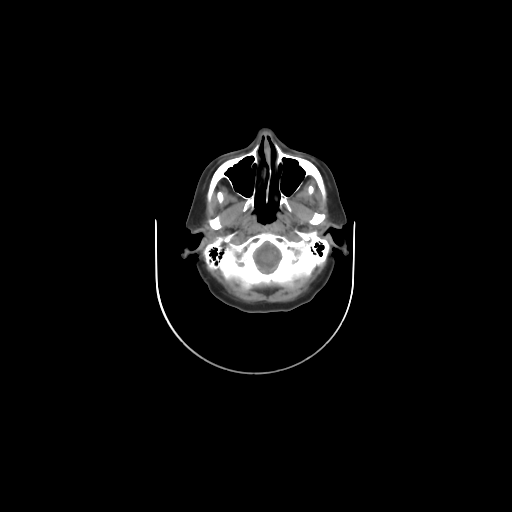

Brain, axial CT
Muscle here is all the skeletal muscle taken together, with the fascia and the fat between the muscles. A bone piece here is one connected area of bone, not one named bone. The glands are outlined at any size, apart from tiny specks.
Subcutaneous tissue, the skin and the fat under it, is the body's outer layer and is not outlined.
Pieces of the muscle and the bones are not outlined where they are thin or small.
The brain is outlined by 266 242; 268 242; 272 245; 273 245; 278 250; 280 254; 280 258; 276 266; 274 268; 274 269; 268 272; 266 272; 265 271; 262 271; 258 267; 255 261; 255 259; 254 258; 254 254; 256 250; 258 248; 259 248; 264 243. The parotid glands appear in 2 outlined pieces: piece 1: 331 216; 331 217; 331 218; 331 219; 331 220; 332 221; 331 222; 331 223; 330 223; 329 223; 328 223; 327 223; 328 222; 328 221; 329 220; 329 219; 329 218; 330 217; piece 2: 200 220; 201 220; 201 221; 202 222; 202 223; 202 224; 202 225; 202 226; 203 227; 202 227; 202 226; 201 225; 201 224; 200 223; 200 222; 200 221. The muscle appears in 2 outlined pieces: piece 1: 236 155; 224 160; 212 173; 205 196; 207 203; 212 200; 217 184; 224 179; 235 190; 237 195; 244 199; 241 209; 243 212; 250 209; 255 213; 259 222; 271 222; 276 218; 278 210; 283 206; 289 212; 292 211; 289 197; 301 188; 307 177; 314 179; 322 199; 326 201; 327 190; 320 170; 309 159; 296 155; 300 155; 313 160; 323 170; 330 183; 331 215; 320 232; 323 236; 320 236; 316 229; 303 231; 295 228; 293 231; 299 239; 292 240; 283 234; 264 230; 250 235; 240 243; 234 243; 231 240; 236 232; 233 231; 225 235; 217 235; 204 247; 208 238; 208 232; 204 228; 201 219; 204 182; 211 169; 220 160, around holes outlined by 315 211; 316 211; 319 213; 323 213; 324 214; 325 214; 325 218; 323 220; 323 221; 322 222; 321 222; 319 224; 317 224; 316 225; 314 225; 313 224; 311 224; 310 223; 309 223; 309 220; 311 218; 313 212; 314 212 and by 216 215; 219 215; 220 216; 220 223; 221 224; 221 227; 219 229; 217 229; 216 230; 215 230; 214 229; 213 229; 212 228; 211 228; 210 227; 210 226; 209 225; 209 223; 208 222; 208 220; 209 219; 211 219; 212 218; 213 218 and by 219 191; 220 191; 222 193; 222 194; 223 195; 223 200; 222 201; 222 202; 221 203; 220 203; 218 201; 218 198; 217 197; 217 193 and by 310 185; 311 185; 312 186; 312 187; 313 188; 313 189; 313 190; 313 191; 312 192; 312 193; 311 194; 310 194; 309 194; 308 193; 308 192; 308 191; 307 190; 307 189; 307 188; 308 187; 308 186; 309 186; piece 2: 202 254; 208 269; 219 270; 226 281; 234 282; 243 290; 249 290; 253 287; 261 286; 291 288; 296 281; 308 278; 315 268; 322 265; 328 257; 328 261; 317 281; 303 296; 290 302; 259 302; 248 304; 234 300; 222 292; 204 268. The head is outlined by 261 126; 329 167; 347 221; 328 231; 338 244; 346 236; 349 254; 332 250; 333 271; 309 302; 290 311; 247 313; 210 293; 195 253; 184 259; 180 254; 187 241; 193 249; 202 237; 192 234; 185 221; 203 169; 215 157; 245 147 with holes at 248 157; 251 157; 252 158; 252 161; 250 163; 250 167; 251 169; 253 170; 253 187; 251 194; 249 196; 246 196; 239 191; 236 191; 234 188; 234 184; 230 177; 227 174; 227 172; 228 170; 233 168; 234 166; 238 164; 242 160 and at 274 176; 274 199; 276 201; 277 200; 278 209; 273 220; 261 222; 258 220; 256 213; 254 211; 256 196; 258 196; 259 198; 260 197; 260 188; 264 184; 264 201; 266 203; 268 202; 271 182 and at 284 159; 289 159; 290 160; 293 160; 295 161; 297 165; 303 171; 303 177; 302 179; 299 182; 290 195; 287 195; 285 194; 282 191; 280 187; 280 184; 281 183; 281 176; 283 171; 282 170; 282 166; 284 164; 284 161; 283 160 and at 262 140; 263 140; 263 146; 262 147; 262 155; 263 156; 263 159; 265 161; 265 163; 266 164; 266 166; 265 166; 264 165; 262 165; 262 158; 261 157; 261 156; 259 153; 259 148; 260 147; 260 145; 261 144; 261 141 and at 270 142; 272 144; 272 145; 273 146; 273 147; 274 148; 274 149; 275 150; 275 156; 274 157; 273 157; 273 155; 272 154; 272 150; 271 149; 271 146; 270 145. The bones appear in 4 outlined pieces: piece 1: 295 229; 316 230; 320 237; 326 238; 330 250; 322 264; 291 287; 261 285; 243 289; 234 281; 226 280; 219 269; 208 268; 204 260; 203 249; 217 236; 235 232; 230 241; 240 244; 250 236; 270 231; 298 241; 300 237 with a hole at 266 242; 268 242; 272 245; 273 245; 278 250; 280 254; 280 258; 276 266; 274 268; 274 269; 268 272; 266 272; 265 271; 262 271; 258 267; 255 261; 255 259; 254 258; 254 254; 256 250; 258 248; 259 248; 264 243; piece 2: 265 138; 317 167; 326 200; 312 176; 307 176; 293 193; 304 171; 295 160; 284 158; 279 187; 289 196; 291 211; 284 205; 279 208; 274 175; 267 202; 263 183; 259 197; 255 196; 254 209; 243 211; 245 199; 237 192; 249 197; 254 187; 253 158; 248 156; 226 172; 233 188; 226 179; 221 179; 207 202; 212 175; 224 161; 249 152; 260 142; 261 165; 267 166; 263 155 with a hole at 270 142; 272 144; 272 145; 273 146; 273 147; 274 148; 274 149; 275 150; 275 156; 274 157; 273 157; 273 155; 272 154; 272 150; 271 149; 271 146; 270 145; piece 3: 315 211; 316 211; 319 213; 323 213; 324 214; 325 214; 325 218; 323 220; 323 221; 322 222; 321 222; 319 224; 317 224; 316 225; 314 225; 313 224; 311 224; 310 223; 309 223; 309 220; 311 218; 313 212; 314 212; piece 4: 216 215; 219 215; 220 216; 220 223; 221 224; 221 227; 219 229; 217 229; 216 230; 215 230; 214 229; 213 229; 212 228; 211 228; 210 227; 210 226; 209 225; 209 223; 208 222; 208 220; 209 219; 211 219; 212 218; 213 218.